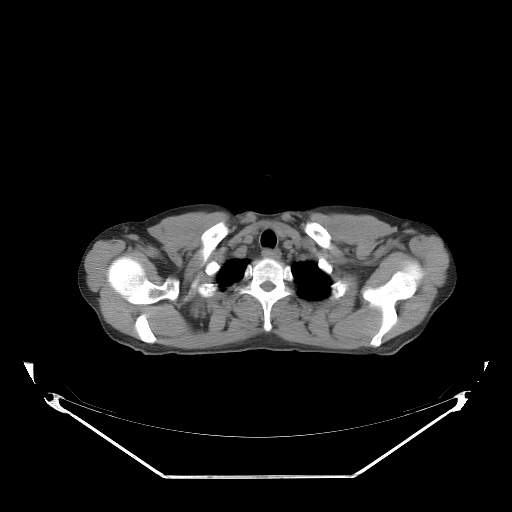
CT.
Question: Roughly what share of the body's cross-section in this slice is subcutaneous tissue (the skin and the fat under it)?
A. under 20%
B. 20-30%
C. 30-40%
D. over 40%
Answer: A. under 20%
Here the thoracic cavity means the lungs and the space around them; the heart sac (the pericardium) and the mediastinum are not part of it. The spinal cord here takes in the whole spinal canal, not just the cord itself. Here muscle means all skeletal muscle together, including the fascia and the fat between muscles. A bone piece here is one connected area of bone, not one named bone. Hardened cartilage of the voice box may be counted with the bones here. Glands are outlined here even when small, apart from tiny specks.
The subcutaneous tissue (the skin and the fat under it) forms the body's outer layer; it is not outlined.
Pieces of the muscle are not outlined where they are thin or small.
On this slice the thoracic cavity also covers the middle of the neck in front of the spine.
{"bones":[{"outer":[[265,257],[281,261],[290,266],[293,276],[293,288],[295,290],[293,295],[285,296],[277,300],[272,305],[270,310],[270,322],[272,327],[268,332],[263,328],[264,315],[260,302],[249,294],[237,295],[230,288],[233,283],[242,278],[248,264],[255,259]],"hole":[[264,282],[270,282],[271,283],[272,283],[273,284],[273,285],[274,286],[273,287],[273,288],[271,290],[270,290],[269,291],[266,291],[265,290],[264,290],[261,287],[261,284],[262,283],[263,283]]},[[122,255],[130,256],[136,259],[143,266],[148,279],[156,285],[161,285],[169,276],[178,279],[179,280],[179,293],[176,299],[170,300],[165,298],[151,304],[134,304],[127,301],[120,294],[117,293],[110,286],[108,282],[107,271],[111,262],[114,259]],[[408,261],[417,261],[422,267],[424,274],[411,297],[396,301],[396,322],[383,335],[381,344],[377,347],[372,347],[370,341],[381,324],[381,310],[377,306],[370,306],[369,302],[363,298],[361,291],[366,287],[374,288],[384,284],[396,271],[401,270]],[[221,221],[224,221],[226,223],[229,230],[228,233],[217,244],[215,248],[210,253],[206,261],[207,263],[210,261],[215,261],[221,266],[215,275],[209,275],[205,272],[206,263],[203,261],[202,255],[200,252],[200,250],[202,248],[201,235],[208,228]],[[307,221],[314,221],[315,222],[317,222],[318,223],[319,223],[322,226],[323,226],[327,230],[327,231],[331,236],[331,240],[330,241],[330,243],[331,244],[331,247],[330,248],[323,248],[322,247],[321,247],[310,236],[309,236],[304,231],[304,225]],[[143,313],[144,313],[146,315],[146,318],[148,321],[148,323],[150,326],[150,328],[152,332],[156,337],[156,341],[154,343],[148,343],[147,342],[142,341],[140,339],[139,339],[138,337],[138,334],[135,330],[135,321],[137,317],[139,315]],[[194,281],[196,281],[198,284],[199,284],[200,283],[217,283],[219,286],[219,290],[220,291],[220,292],[219,293],[216,293],[212,296],[209,296],[208,297],[204,297],[203,296],[200,295],[197,292],[197,291],[195,288],[192,288],[191,287],[191,285]],[[340,279],[344,279],[345,280],[346,280],[348,282],[348,287],[347,288],[347,289],[346,290],[345,293],[342,296],[340,296],[338,298],[330,298],[329,297],[330,296],[330,285],[332,283],[333,283],[334,282],[335,282],[336,281],[337,281]],[[320,256],[321,256],[325,259],[326,259],[328,261],[328,262],[331,264],[331,265],[332,266],[332,270],[331,271],[331,273],[329,275],[328,275],[326,273],[325,273],[321,269],[320,269],[317,265],[317,262],[318,261]]],"spinal_cord":[[[264,282],[270,282],[271,283],[272,283],[273,284],[273,285],[274,286],[273,287],[273,288],[271,290],[270,290],[269,291],[266,291],[265,290],[264,290],[261,287],[261,284],[262,283],[263,283]]],"muscle":[{"outer":[[194,211],[225,211],[233,217],[252,213],[265,219],[310,211],[372,215],[436,235],[449,257],[447,279],[422,321],[382,344],[398,320],[397,301],[411,298],[425,274],[417,260],[406,261],[384,283],[361,289],[368,305],[380,310],[371,347],[337,349],[287,341],[269,332],[277,301],[295,294],[308,302],[338,299],[349,282],[332,282],[333,266],[326,258],[313,260],[297,236],[271,225],[242,235],[221,265],[207,262],[229,233],[221,220],[200,235],[204,272],[216,275],[216,282],[194,280],[190,287],[204,298],[229,289],[253,297],[261,306],[265,332],[220,346],[172,347],[155,343],[143,312],[134,321],[138,339],[104,319],[97,295],[86,284],[86,250],[98,240]],"holes":[[[122,255],[130,256],[136,259],[143,266],[148,279],[156,285],[161,285],[169,276],[178,279],[179,280],[179,293],[176,299],[170,300],[165,298],[151,304],[134,304],[127,301],[120,294],[117,293],[110,286],[108,282],[107,271],[111,262],[114,259]],[[307,221],[314,221],[315,222],[317,222],[318,223],[319,223],[322,226],[323,226],[327,230],[327,231],[331,236],[331,240],[330,241],[330,243],[331,244],[331,247],[330,248],[323,248],[322,247],[321,247],[310,236],[309,236],[304,231],[304,225]]]}],"thoracic_cavity":[[[266,226],[274,227],[280,238],[284,238],[286,233],[291,234],[303,243],[317,267],[331,281],[328,296],[320,301],[299,298],[294,288],[291,266],[269,256],[253,259],[247,264],[239,280],[233,282],[226,291],[220,290],[217,274],[234,245],[245,234]]],"left_arm":[[[427,223],[435,228],[439,232],[447,242],[453,255],[456,264],[456,268],[457,269],[457,281],[454,290],[452,293],[446,291],[436,282],[435,279],[432,276],[430,271],[428,270],[422,258],[420,252],[420,238],[423,229]]],"right_arm":[[[126,221],[134,221],[135,222],[138,228],[139,235],[140,236],[140,260],[136,272],[129,284],[119,296],[108,302],[105,302],[100,305],[90,306],[81,295],[77,285],[77,269],[82,254],[89,242],[96,235],[112,225],[121,222],[125,222]]],"thyroid_glands":[[[276,228],[279,228],[280,229],[281,229],[284,232],[285,232],[285,235],[284,236],[284,237],[280,237],[278,235],[278,234],[277,233],[277,232],[276,231]]],"torso":[[[194,203],[215,203],[234,212],[261,213],[320,204],[347,204],[425,222],[419,238],[421,258],[435,282],[451,295],[436,310],[421,335],[391,355],[265,349],[194,355],[143,354],[111,339],[91,307],[119,297],[134,278],[141,260],[141,236],[135,221]]]}